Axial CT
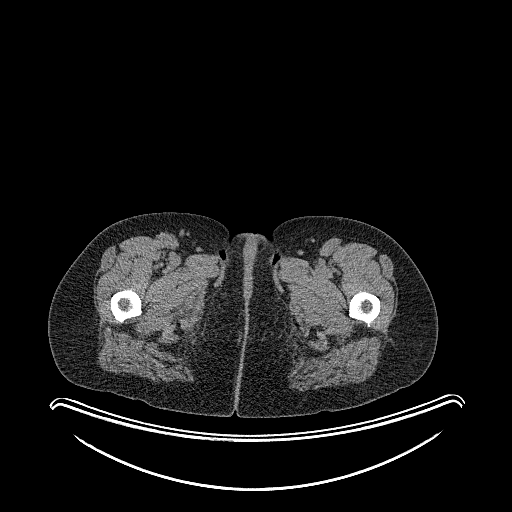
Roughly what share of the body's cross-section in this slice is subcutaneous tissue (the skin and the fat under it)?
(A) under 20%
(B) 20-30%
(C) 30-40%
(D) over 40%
Answer: (D) over 40%
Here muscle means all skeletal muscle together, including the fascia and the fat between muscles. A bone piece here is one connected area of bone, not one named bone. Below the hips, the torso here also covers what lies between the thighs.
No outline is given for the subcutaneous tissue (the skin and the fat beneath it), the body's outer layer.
The torso is outlined by (229, 232) (231, 235) (234, 235) (240, 232) (253, 232) (263, 234) (269, 238) (270, 249) (272, 255) (272, 273) (270, 284) (269, 305) (266, 312) (257, 325) (242, 340) (239, 317) (232, 297) (231, 288) (229, 285) (227, 270) (225, 267) (224, 261) (224, 253) (229, 240). The muscle appears in 2 outlined pieces: piece 1: (146, 229) (167, 231) (210, 253) (220, 255) (225, 260) (226, 274) (211, 302) (202, 333) (194, 345) (196, 361) (204, 377) (203, 381) (191, 383) (180, 382) (168, 385) (152, 383) (107, 374) (96, 362) (98, 318) (92, 298) (94, 278) (102, 253) (107, 246) (118, 239), around a hole outlined by (128, 288) (130, 288) (135, 291) (140, 297) (141, 299) (141, 307) (142, 308) (142, 312) (140, 315) (138, 316) (135, 316) (134, 317) (131, 317) (130, 318) (127, 318) (121, 323) (120, 322) (118, 322) (115, 319) (110, 309) (110, 298) (115, 292) (120, 290) (127, 289); piece 2: (327, 234) (350, 237) (384, 250) (394, 266) (393, 271) (397, 285) (396, 315) (389, 340) (377, 368) (365, 382) (306, 391) (290, 391) (285, 383) (293, 354) (290, 328) (286, 310) (274, 284) (272, 271) (275, 263) (282, 257) (305, 258) (316, 254) (320, 242); inner edge: (359, 291) (366, 291) (367, 292) (372, 293) (379, 298) (379, 300) (380, 301) (380, 310) (378, 315) (371, 322) (364, 322) (361, 320) (358, 320) (355, 318) (352, 318) (350, 317) (348, 314) (348, 309) (349, 308) (349, 305) (348, 303) (351, 299) (352, 296) (355, 293). The right leg is outlined by (151, 212) (188, 212) (205, 215) (219, 221) (229, 231) (227, 244) (220, 255) (223, 257) (240, 327) (241, 367) (234, 413) (228, 417) (171, 411) (111, 392) (88, 389) (68, 381) (54, 362) (48, 340) (48, 311) (55, 289) (64, 273) (85, 246) (104, 228) (121, 219). The bones appear in 2 outlined pieces: piece 1: (128, 288) (130, 288) (135, 291) (140, 297) (141, 299) (141, 307) (142, 308) (142, 312) (140, 315) (138, 316) (135, 316) (134, 317) (131, 317) (130, 318) (127, 318) (121, 323) (120, 322) (118, 322) (115, 319) (110, 309) (110, 298) (115, 292) (120, 290) (127, 289); piece 2: (359, 291) (366, 291) (367, 292) (372, 293) (379, 298) (379, 300) (380, 301) (380, 310) (378, 315) (371, 322) (364, 322) (361, 320) (358, 320) (355, 318) (352, 318) (350, 317) (348, 314) (348, 309) (349, 308) (349, 305) (348, 303) (351, 299) (352, 296) (355, 293). The left leg is outlined by (310, 215) (340, 216) (368, 223) (391, 236) (408, 253) (424, 277) (436, 307) (438, 335) (432, 361) (425, 373) (414, 383) (357, 407) (287, 417) (239, 417) (235, 410) (241, 379) (242, 341) (258, 325) (270, 305) (273, 273) (270, 237) (273, 230) (282, 222) (291, 218).